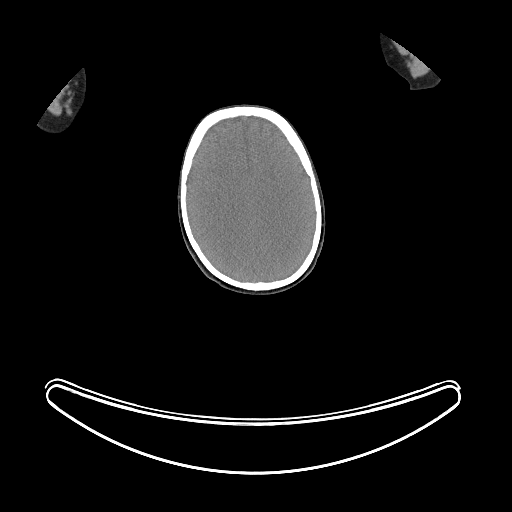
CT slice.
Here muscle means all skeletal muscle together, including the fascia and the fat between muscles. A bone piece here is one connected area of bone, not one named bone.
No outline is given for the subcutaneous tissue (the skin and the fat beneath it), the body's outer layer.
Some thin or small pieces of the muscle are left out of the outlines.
Outlines (x, y in pixels):
brain: (237, 117) (256, 117) (264, 119) (273, 124) (291, 146) (309, 180) (309, 187) (314, 209) (314, 227) (310, 246) (299, 265) (291, 273) (281, 278) (255, 281) (240, 280) (224, 273) (216, 267) (205, 254) (191, 227) (187, 206) (187, 182) (196, 152) (210, 128) (223, 120)
right arm: (82, 68) (84, 68) (86, 72) (86, 93) (85, 94) (85, 99) (83, 105) (77, 114) (73, 123) (68, 129) (59, 134) (50, 134) (44, 132) (37, 127) (37, 123) (38, 121) (46, 110) (50, 102) (51, 102) (60, 92) (61, 89) (66, 84) (69, 79) (72, 78)
muscle 1: (74, 76) (77, 78) (77, 89) (76, 90) (76, 94) (73, 100) (73, 113) (70, 117) (67, 117) (66, 118) (55, 118) (52, 116) (50, 113) (46, 110) (46, 109) (50, 102) (51, 102) (52, 100) (60, 92) (61, 89) (66, 84) (69, 79) (70, 78) (72, 78)
muscle 2: (391, 39) (393, 39) (395, 42) (405, 48) (406, 50) (409, 50) (412, 54) (419, 58) (419, 59) (429, 68) (427, 74) (420, 78) (413, 79) (410, 76) (408, 71) (403, 65) (401, 61) (401, 56) (396, 49) (394, 47) (392, 47) (392, 44) (390, 41)
left arm: (379, 33) (381, 33) (387, 37) (393, 39) (395, 42) (405, 48) (406, 50) (409, 50) (412, 54) (419, 58) (428, 68) (433, 71) (439, 77) (440, 82) (433, 88) (418, 89) (417, 90) (410, 89) (408, 83) (386, 64) (379, 44) (379, 40) (378, 39) (378, 34)
head: (242, 103) (267, 106) (279, 112) (291, 123) (303, 140) (315, 164) (325, 202) (325, 237) (321, 254) (315, 267) (299, 284) (273, 295) (251, 296) (233, 292) (206, 277) (189, 254) (178, 224) (176, 209) (178, 174) (184, 150) (192, 131) (196, 124) (212, 110) (222, 106)
bones: (243, 105) (270, 108) (281, 114) (291, 124) (300, 137) (310, 158) (320, 196) (322, 226) (318, 247) (311, 263) (307, 269) (291, 283) (269, 290) (248, 290) (236, 287) (212, 274) (192, 248) (181, 217) (180, 170) (184, 152) (192, 132) (200, 120) (208, 113) (220, 108); inner edge: (237, 117) (256, 117) (264, 119) (273, 124) (291, 146) (309, 180) (309, 187) (314, 209) (314, 227) (310, 246) (299, 265) (291, 273) (281, 278) (255, 281) (240, 280) (224, 273) (216, 267) (205, 254) (191, 227) (187, 206) (187, 182) (196, 152) (210, 128) (223, 120)